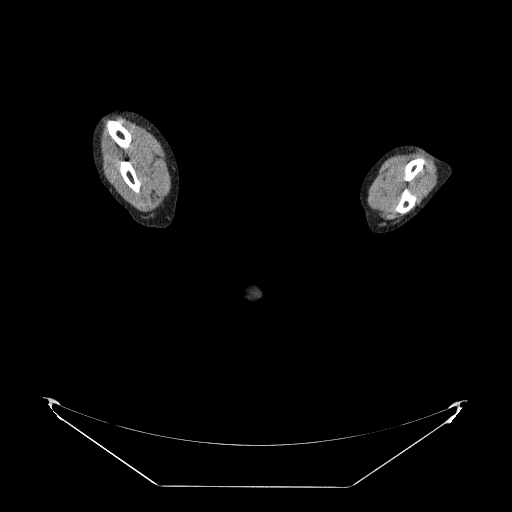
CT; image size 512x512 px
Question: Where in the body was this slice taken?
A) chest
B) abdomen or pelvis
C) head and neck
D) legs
Answer: C) head and neck
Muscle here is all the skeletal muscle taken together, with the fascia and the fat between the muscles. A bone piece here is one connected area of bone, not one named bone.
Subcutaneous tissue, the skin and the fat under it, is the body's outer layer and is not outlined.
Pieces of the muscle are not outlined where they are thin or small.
Outlined structures:
muscle 1: (113, 114) (122, 115) (145, 127) (154, 135) (164, 149) (170, 175) (170, 189) (165, 208) (160, 213) (150, 219) (145, 218) (142, 214) (136, 213) (132, 206) (116, 192) (103, 174) (101, 168) (100, 148) (99, 147) (100, 126) (102, 123) (102, 120) (106, 116) (110, 116) with holes at (109, 118) (110, 119) (113, 119) (114, 120) (119, 120) (121, 122) (122, 125) (130, 133) (131, 135) (131, 140) (129, 144) (129, 147) (128, 147) (126, 149) (123, 149) (121, 148) (111, 138) (111, 137) (109, 135) (107, 131) (107, 129) (106, 128) (106, 121) (107, 119) and at (121, 161) (129, 161) (132, 167) (135, 171) (135, 174) (136, 176) (140, 180) (141, 182) (141, 184) (140, 185) (140, 187) (139, 188) (139, 192) (138, 193) (136, 193) (126, 183) (126, 182) (124, 180) (119, 170) (119, 162)
muscle 2: (417, 148) (423, 148) (430, 154) (435, 156) (435, 157) (437, 158) (443, 170) (442, 179) (429, 193) (426, 198) (415, 208) (414, 208) (405, 217) (398, 221) (396, 221) (393, 223) (391, 223) (387, 226) (378, 226) (376, 224) (375, 224) (375, 223) (373, 221) (372, 219) (372, 216) (371, 215) (371, 212) (368, 206) (368, 201) (367, 200) (367, 190) (376, 177) (380, 166) (387, 158) (398, 152) (404, 152) (405, 151) (408, 151) (409, 150) (414, 150); inner edges: (406, 188) (408, 188) (410, 190) (410, 191) (411, 192) (412, 192) (411, 193) (411, 194) (413, 196) (415, 196) (415, 204) (406, 213) (405, 213) (404, 214) (402, 214) (399, 212) (397, 212) (394, 209) (394, 208) (395, 207) (395, 206) (398, 203) (403, 190), then (418, 157) (422, 157) (425, 160) (425, 163) (423, 165) (423, 166) (422, 167) (422, 168) (420, 170) (420, 171) (414, 177) (414, 178) (411, 181) (406, 181) (405, 180) (404, 180) (403, 179) (403, 177) (404, 176) (404, 167) (411, 160) (412, 160) (413, 159) (415, 159)
right arm: (116, 109) (133, 110) (151, 121) (165, 136) (174, 154) (179, 172) (179, 190) (174, 217) (171, 223) (166, 227) (160, 228) (159, 227) (146, 226) (135, 221) (126, 209) (115, 200) (100, 181) (96, 168) (94, 165) (94, 161) (92, 156) (92, 133) (98, 120) (109, 112)
head and neck: (250, 278) (255, 281) (257, 281) (259, 282) (263, 286) (265, 290) (265, 295) (263, 299) (259, 302) (254, 302) (253, 303) (252, 302) (247, 302) (245, 301) (242, 298) (242, 296) (241, 295) (241, 290) (242, 289) (242, 286) (244, 282) (245, 282) (246, 280)
left arm: (404, 144) (418, 145) (425, 149) (430, 154) (447, 162) (452, 168) (452, 173) (439, 191) (425, 207) (415, 216) (409, 219) (399, 227) (391, 231) (376, 233) (371, 231) (368, 226) (365, 212) (360, 202) (359, 197) (360, 188) (366, 174) (374, 163) (383, 154) (392, 148)
bones 1: (109, 118) (110, 119) (113, 119) (114, 120) (119, 120) (121, 122) (122, 125) (130, 133) (131, 135) (131, 140) (129, 144) (129, 147) (128, 147) (126, 149) (123, 149) (121, 148) (111, 138) (111, 137) (109, 135) (107, 131) (107, 129) (106, 128) (106, 121) (107, 119)
bones 2: (121, 161) (129, 161) (132, 167) (135, 171) (135, 174) (136, 176) (140, 180) (141, 182) (141, 184) (140, 185) (140, 187) (139, 188) (139, 192) (138, 193) (136, 193) (126, 183) (126, 182) (124, 180) (119, 170) (119, 162)
bones 3: (406, 188) (408, 188) (410, 190) (410, 191) (411, 192) (412, 192) (411, 193) (411, 194) (413, 196) (415, 196) (415, 204) (406, 213) (405, 213) (404, 214) (402, 214) (399, 212) (397, 212) (394, 209) (394, 208) (395, 207) (395, 206) (398, 203) (403, 190)
bones 4: (418, 157) (422, 157) (425, 160) (425, 163) (423, 165) (423, 166) (422, 167) (422, 168) (420, 170) (420, 171) (414, 177) (414, 178) (411, 181) (406, 181) (405, 180) (404, 180) (403, 179) (403, 177) (404, 176) (404, 167) (411, 160) (412, 160) (413, 159) (415, 159)